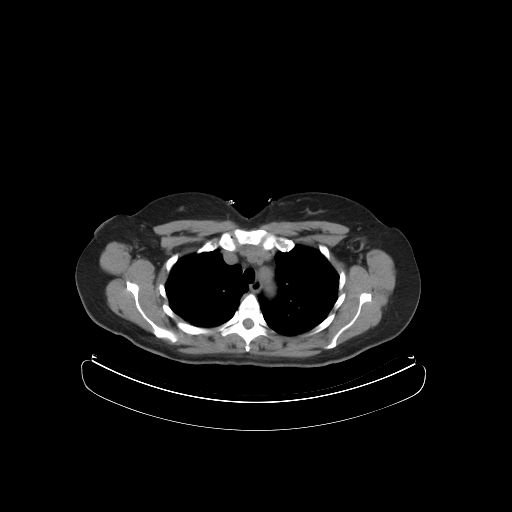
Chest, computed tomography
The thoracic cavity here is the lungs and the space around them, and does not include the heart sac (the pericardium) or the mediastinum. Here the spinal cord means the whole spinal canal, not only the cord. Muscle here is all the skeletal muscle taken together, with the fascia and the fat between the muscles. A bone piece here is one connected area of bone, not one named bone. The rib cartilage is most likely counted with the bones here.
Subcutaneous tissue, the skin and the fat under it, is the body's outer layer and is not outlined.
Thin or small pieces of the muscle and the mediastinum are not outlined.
The thoracic cavity appears in 2 outlined pieces: piece 1: 296 244; 317 248; 329 261; 338 274; 338 295; 329 313; 319 323; 306 331; 293 335; 286 335; 278 333; 269 326; 261 311; 258 297; 261 295; 267 301; 272 301; 277 296; 278 284; 276 279; 275 255; 279 251; 284 253; 289 252; piece 2: 217 249; 226 264; 231 266; 234 265; 239 266; 241 279; 246 284; 247 290; 242 294; 238 306; 232 316; 226 321; 213 326; 195 325; 184 320; 171 308; 169 305; 165 284; 172 267; 179 258; 195 252; 199 254; 204 252; 214 251. The mediastinum is outlined by 242 245; 260 246; 266 251; 274 248; 278 250; 274 255; 277 293; 272 300; 267 300; 261 294; 257 298; 251 292; 242 297; 248 290; 248 286; 242 279; 241 268; 238 264; 231 265; 226 263; 218 249; 221 248; 226 251; 233 252. The muscle appears in 2 outlined pieces: piece 1: 181 219; 231 220; 250 229; 237 227; 224 231; 180 257; 173 253; 164 263; 167 279; 157 286; 164 299; 162 310; 175 320; 179 330; 189 335; 236 334; 244 342; 243 356; 188 354; 170 347; 161 339; 175 343; 179 339; 177 334; 146 314; 139 302; 139 285; 134 281; 127 279; 125 288; 153 334; 114 313; 106 302; 99 258; 107 243; 129 244; 142 257; 155 262; 163 249; 152 228; piece 2: 306 220; 335 222; 349 228; 336 249; 344 262; 361 264; 372 249; 390 255; 396 269; 393 292; 377 325; 337 345; 363 304; 372 300; 370 292; 362 291; 354 315; 321 353; 307 357; 252 355; 248 352; 250 343; 259 336; 268 337; 274 331; 286 336; 307 331; 305 334; 311 336; 324 330; 346 297; 342 291; 346 273; 333 267; 326 245; 312 247; 264 228; 253 228; 268 221. The torso is outlined by 182 191; 231 200; 247 217; 270 198; 296 192; 329 192; 360 202; 401 230; 412 247; 421 278; 413 317; 389 341; 347 360; 308 368; 187 364; 144 350; 100 327; 86 313; 74 277; 78 257; 94 230; 113 215; 134 213; 158 197. The bones appear in 7 outlined pieces: piece 1: 160 283; 164 284; 168 305; 178 318; 199 327; 213 327; 226 322; 233 316; 241 299; 251 293; 256 297; 260 311; 273 332; 268 336; 254 338; 247 352; 244 340; 236 333; 225 336; 219 332; 186 333; 163 310; 165 299; 158 288 with a hole at 248 318; 249 319; 250 319; 252 321; 252 322; 253 323; 253 324; 252 325; 252 326; 251 327; 250 327; 249 328; 247 328; 246 327; 245 327; 244 326; 244 325; 243 324; 243 321; 245 319; 247 319; piece 2: 237 228; 245 230; 264 229; 277 236; 292 240; 295 243; 295 245; 289 251; 285 252; 274 247; 266 250; 263 249; 263 247; 260 245; 242 244; 233 251; 219 247; 214 250; 198 253; 196 251; 208 240; 216 240; 222 233; 232 232; piece 3: 127 280; 131 282; 134 282; 138 285; 139 288; 138 289; 138 302; 145 314; 157 325; 166 328; 176 334; 178 339; 175 342; 171 342; 166 338; 158 338; 154 335; 152 327; 145 320; 137 309; 135 304; 134 296; 126 288; 126 281; piece 4: 341 270; 343 270; 345 273; 345 282; 341 290; 342 292; 345 293; 345 297; 342 303; 334 312; 335 315; 332 321; 324 329; 314 334; 307 335; 306 333; 309 330; 319 324; 333 310; 333 306; 340 293; 338 288; 339 287; 338 273; piece 5: 362 292; 368 292; 370 293; 371 294; 371 300; 364 302; 362 304; 360 309; 360 312; 357 318; 337 338; 336 340; 336 346; 333 348; 325 349; 323 347; 355 315; 359 304; 359 296; piece 6: 175 253; 177 253; 178 254; 178 259; 176 261; 176 262; 171 267; 171 268; 170 269; 170 270; 168 273; 167 272; 167 270; 166 269; 166 267; 165 266; 165 263; 166 262; 167 259; 169 257; 170 257; 173 254; 174 254; piece 7: 319 244; 322 244; 323 245; 324 245; 325 246; 326 246; 328 248; 328 249; 329 250; 329 254; 330 255; 330 259; 329 260; 328 260; 321 253; 321 252; 318 249; 318 245. The spinal cord is outlined by 248 318; 249 319; 250 319; 252 321; 252 322; 253 323; 253 324; 252 325; 252 326; 251 327; 250 327; 249 328; 247 328; 246 327; 245 327; 244 326; 244 325; 243 324; 243 321; 245 319; 247 319.